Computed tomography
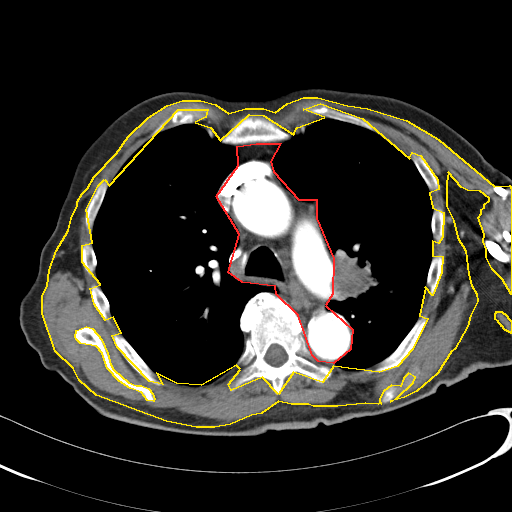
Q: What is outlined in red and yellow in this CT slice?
A: red: mediastinum; yellow: muscle.
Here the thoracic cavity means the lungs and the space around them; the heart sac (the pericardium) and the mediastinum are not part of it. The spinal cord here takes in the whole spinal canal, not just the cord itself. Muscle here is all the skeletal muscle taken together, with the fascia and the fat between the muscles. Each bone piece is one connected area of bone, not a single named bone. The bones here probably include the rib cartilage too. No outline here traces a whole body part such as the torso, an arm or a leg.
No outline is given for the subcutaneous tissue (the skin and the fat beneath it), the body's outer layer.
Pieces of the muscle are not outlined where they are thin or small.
The mediastinum is outlined by 256,143 280,143 270,161 273,171 298,199 316,199 316,218 333,258 332,294 325,305 352,329 350,349 333,363 318,361 312,355 298,315 276,294 275,286 242,282 228,272 239,234 216,196 238,165 237,146. The muscle appears in 2 outlined pieces: piece 1: 303,97 317,97 347,105 367,108 406,120 438,139 494,186 509,185 511,188 511,294 502,279 492,269 486,257 486,249 483,241 484,234 478,217 481,213 481,209 484,207 484,204 489,200 489,198 480,191 467,190 461,187 448,172 446,182 446,206 453,220 457,237 465,250 468,274 471,285 476,293 477,301 470,315 467,326 454,349 451,351 437,373 416,391 404,397 390,401 397,397 413,382 415,377 408,373 403,378 400,386 391,385 383,391 379,398 379,402 381,403 378,404 365,403 337,406 313,406 308,404 291,404 278,401 261,413 251,415 230,424 214,427 196,427 166,421 96,395 79,380 73,368 55,351 42,313 42,296 47,285 49,270 56,250 68,230 71,218 77,205 77,201 82,193 87,188 94,176 116,153 128,136 148,117 167,105 182,100 200,100 215,104 228,113 245,108 263,108 275,112 287,103; inner edges: 320,103 362,118 409,158 412,152 420,155 437,179 438,189 429,193 432,207 443,212 442,237 438,243 432,241 432,255 442,256 441,272 432,295 425,287 419,315 427,318 412,349 397,366 379,372 333,366 322,382 293,372 278,394 262,377 231,390 228,384 240,369 236,365 201,385 176,383 156,373 162,384 149,381 117,347 112,335 121,332 113,317 105,320 94,304 90,288 100,284 82,262 82,245 92,242 86,209 98,185 104,179 109,185 178,109 207,109 205,117 195,122 210,127 220,140 249,114 263,115 293,134 297,127 324,117 303,109, then 86,326 92,328 101,339 107,353 110,364 113,369 128,382 136,385 141,385 148,388 152,393 154,399 153,401 147,400 141,392 130,388 119,381 107,368 102,353 96,346 80,343 76,339 75,337 76,330; piece 2: 496,311 501,311 503,313 504,313 507,316 507,317 511,321 511,333 510,332 509,332 508,331 507,331 506,330 505,330 503,328 503,327 502,326 501,326 501,325 498,322 498,321 495,319 495,313 496,312. The bones appear in 14 outlined pieces: piece 1: 261,292 275,294 294,310 311,355 333,369 326,380 317,382 310,376 293,372 285,377 278,394 274,392 272,383 262,377 245,381 234,390 229,388 230,380 240,369 236,363 249,335 240,327 241,315 248,301 with a hole at 272,344 277,344 281,347 282,347 282,348 284,350 285,353 287,355 287,358 286,359 286,360 283,363 282,363 278,366 274,366 273,365 270,364 265,360 265,355 266,354 269,347; piece 2: 249,114 258,114 267,117 270,119 276,126 282,130 288,133 290,133 291,134 291,137 289,139 282,142 256,142 255,143 240,144 236,146 222,143 221,142 221,139 230,130 235,122 241,116 243,115 248,115; piece 3: 423,314 426,314 427,315 427,318 426,319 426,322 425,323 424,328 412,349 405,358 397,366 384,371 373,372 372,373 362,373 362,372 366,369 373,369 375,368 379,362 391,354 407,335 418,318; piece 4: 86,326 92,328 101,339 107,353 110,364 113,369 128,382 136,385 141,385 148,388 152,393 154,399 153,401 147,400 141,392 130,388 119,381 107,368 102,353 96,346 80,343 76,339 75,337 76,330; piece 5: 115,332 119,333 122,336 123,336 123,337 130,344 133,349 155,373 155,376 162,383 161,385 156,385 152,382 149,381 147,379 143,377 132,367 132,366 123,356 123,355 117,347 113,339 112,335 113,333; piece 6: 194,106 202,106 207,109 207,111 206,112 207,113 205,117 203,119 197,120 195,122 193,122 192,123 183,123 182,124 168,128 148,138 150,134 166,118 169,117 174,111 178,109 184,109 188,107 193,107; piece 7: 320,103 324,103 330,108 333,108 336,110 342,112 345,112 346,113 349,113 362,118 374,129 374,131 359,125 356,125 345,121 341,121 337,119 324,117 321,115 314,114 304,110 303,107 305,105 319,104; piece 8: 104,179 107,179 108,180 108,186 106,189 104,197 102,200 100,207 97,212 97,214 93,222 92,229 90,231 87,229 86,225 85,224 85,215 86,214 86,209 87,208 88,203 91,197 95,192 98,185; piece 9: 412,152 414,152 420,155 422,157 422,158 428,164 428,165 432,170 435,177 437,179 437,182 438,183 438,189 437,190 430,190 429,189 424,179 422,177 421,174 419,172 415,164 411,159 411,153; piece 10: 436,254 440,254 442,256 441,272 440,273 439,280 436,286 436,288 433,294 432,295 430,295 429,294 429,289 426,286 426,283 427,282 427,277 428,276 428,272 429,271 429,268 431,264 432,257; piece 11: 92,284 95,284 99,286 108,301 108,303 109,304 109,310 110,311 110,314 111,315 108,321 105,320 103,318 101,314 98,311 96,306 94,304 94,302 91,296 91,290 90,289 91,285; piece 12: 86,242 89,242 91,243 92,245 92,247 93,248 93,251 95,255 95,259 96,260 96,266 95,267 95,271 91,275 88,274 88,273 84,268 84,266 82,262 82,258 81,257 81,248 82,247 82,245; piece 13: 435,207 439,207 442,210 443,212 443,220 444,221 444,224 443,225 443,234 442,235 442,237 440,241 438,243 437,243 433,238 433,234 432,233 432,226 431,225 431,223 432,222 432,213 433,212 433,208; piece 14: 408,374 410,376 413,376 414,377 412,382 403,391 402,391 397,396 394,397 388,402 386,402 385,403 382,403 380,402 380,398 382,396 384,391 391,386 394,386 395,387 400,387 402,385 401,384 404,378. The spinal cord is outlined by 272,344 277,344 281,347 282,347 282,348 284,350 285,353 287,355 287,358 286,359 286,360 283,363 282,363 278,366 274,366 273,365 270,364 265,360 265,355 266,354 269,347. The thoracic cavity appears in 2 outlined pieces: piece 1: 193,123 210,127 222,144 237,151 237,165 215,196 238,234 227,272 239,282 277,289 258,292 245,304 239,327 248,335 235,365 217,379 195,386 157,374 122,335 95,272 92,244 107,189 125,162 150,138; piece 2: 321,118 373,131 405,154 427,186 432,204 432,256 419,316 391,353 358,370 326,364 333,364 348,353 353,329 342,315 326,305 333,294 334,258 317,218 317,199 298,198 271,162 281,143 289,140 297,127.